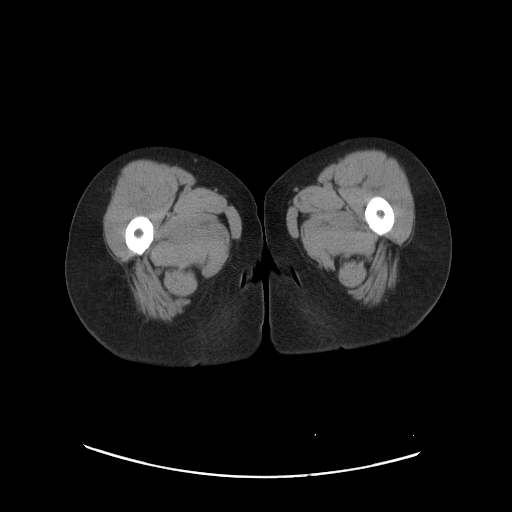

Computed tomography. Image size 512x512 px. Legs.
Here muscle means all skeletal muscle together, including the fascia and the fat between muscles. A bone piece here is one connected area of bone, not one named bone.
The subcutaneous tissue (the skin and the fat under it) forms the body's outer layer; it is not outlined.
{"right_leg":[[[146,145],[173,146],[204,155],[234,173],[254,197],[264,230],[264,245],[261,263],[253,278],[262,280],[267,316],[259,349],[245,361],[216,368],[184,370],[125,361],[90,335],[72,307],[65,284],[64,259],[68,231],[79,198],[106,163],[123,152]]],"left_leg":[[[361,135],[381,136],[401,143],[421,160],[435,180],[446,206],[452,237],[452,259],[446,285],[427,316],[403,338],[353,351],[310,356],[280,355],[274,351],[269,339],[268,273],[272,261],[265,244],[263,225],[265,194],[271,184],[298,160],[342,139]]],"bones":[[[373,196],[381,196],[386,200],[387,200],[387,201],[392,207],[392,209],[394,213],[394,222],[393,223],[393,225],[391,229],[383,235],[379,235],[374,231],[373,231],[369,227],[364,217],[364,211],[365,210],[365,207],[370,198],[371,198]],[[137,215],[143,215],[144,216],[146,216],[152,223],[153,225],[153,230],[154,231],[153,233],[153,240],[149,246],[143,252],[143,253],[140,255],[134,253],[127,247],[125,242],[125,237],[124,236],[124,232],[125,231],[125,228],[127,224],[132,218]]],"muscle":[{"outer":[[142,157],[176,165],[195,172],[205,178],[216,185],[235,205],[241,220],[240,237],[221,270],[177,320],[167,324],[147,321],[141,316],[136,308],[120,266],[107,250],[103,236],[103,215],[110,200],[111,191],[116,183],[117,176],[124,165]],"hole":[[137,215],[143,215],[144,216],[146,216],[152,223],[153,225],[153,230],[154,231],[153,233],[153,240],[149,246],[143,252],[143,253],[140,255],[134,253],[127,247],[125,242],[125,237],[124,236],[124,232],[125,231],[125,228],[127,224],[132,218]]},{"outer":[[370,148],[382,150],[388,155],[394,157],[403,168],[414,200],[415,224],[413,235],[402,251],[398,278],[394,290],[388,299],[380,305],[376,307],[361,308],[341,298],[294,242],[286,225],[286,209],[289,197],[296,186],[347,153],[359,149]],"hole":[[373,196],[381,196],[386,200],[387,200],[387,201],[392,207],[392,209],[394,213],[394,222],[393,223],[393,225],[391,229],[383,235],[379,235],[374,231],[373,231],[369,227],[364,217],[364,211],[365,210],[365,207],[370,198],[371,198]]}]}